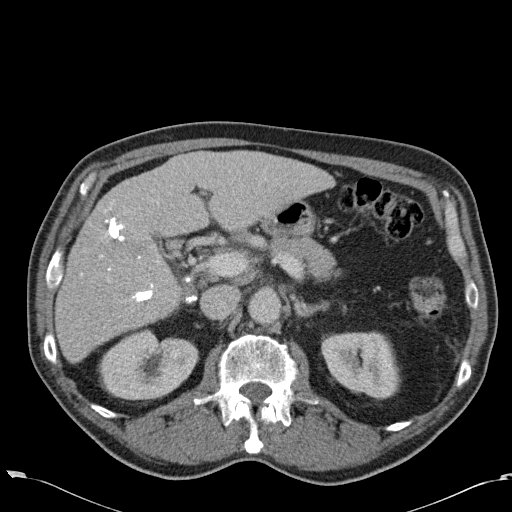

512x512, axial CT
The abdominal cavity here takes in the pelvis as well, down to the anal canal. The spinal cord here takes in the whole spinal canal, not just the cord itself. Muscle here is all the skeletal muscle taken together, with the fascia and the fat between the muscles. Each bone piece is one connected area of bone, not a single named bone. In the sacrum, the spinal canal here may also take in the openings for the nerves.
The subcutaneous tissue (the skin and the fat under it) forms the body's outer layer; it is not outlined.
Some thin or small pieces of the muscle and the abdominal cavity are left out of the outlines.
Outlines (x, y in pixels):
muscle: 210 137; 385 161; 458 189; 469 213; 484 280; 487 334; 471 381; 440 420; 352 467; 302 470; 259 453; 264 444; 258 421; 281 422; 288 427; 294 402; 320 402; 292 389; 299 370; 288 342; 294 341; 305 353; 314 392; 353 420; 397 432; 409 426; 412 417; 435 407; 456 376; 457 387; 471 377; 469 360; 461 358; 470 332; 470 308; 478 307; 479 291; 473 279; 465 284; 456 263; 467 255; 467 249; 447 189; 441 191; 446 199; 446 237; 427 195; 416 187; 256 145; 190 149; 110 175; 73 230; 64 253; 58 245; 50 256; 44 279; 49 290; 55 289; 53 333; 46 332; 42 342; 45 358; 55 364; 57 353; 65 374; 91 402; 89 406; 109 419; 117 413; 141 416; 197 386; 206 357; 221 344; 216 372; 219 386; 212 393; 194 396; 192 402; 196 406; 216 403; 226 427; 233 420; 244 419; 248 423; 243 442; 247 453; 191 465; 150 461; 83 416; 68 400; 40 356; 35 293; 42 248; 71 185; 93 162; 153 144; inner edge: 91 172; 94 172; 95 173; 95 179; 94 180; 94 181; 93 182; 91 187; 89 189; 89 190; 87 193; 87 195; 84 198; 83 198; 82 197; 81 197; 81 195; 79 192; 79 187; 80 186; 80 184; 82 182; 82 181
torso: 199 121; 253 122; 409 143; 442 156; 468 182; 495 279; 496 336; 472 400; 406 461; 339 485; 302 481; 258 461; 237 462; 193 479; 164 479; 107 453; 68 416; 37 374; 27 344; 27 268; 37 231; 63 180; 83 156; 104 144
bones 1: 246 333; 268 335; 286 344; 298 370; 291 389; 300 397; 319 401; 294 401; 288 426; 281 421; 258 420; 263 444; 258 453; 244 448; 249 436; 244 418; 233 419; 226 426; 216 402; 193 402; 194 397; 219 388; 220 355; 230 341 with a hole at 250 382; 259 382; 260 383; 262 383; 263 384; 265 384; 267 385; 270 388; 270 394; 263 399; 261 404; 259 404; 258 405; 254 405; 252 403; 252 401; 249 398; 248 398; 240 392; 240 388; 243 385; 247 383; 249 383
bones 2: 444 189; 449 192; 449 198; 448 199; 455 207; 460 235; 466 249; 466 255; 460 257; 457 261; 454 260; 452 255; 450 253; 448 247; 448 243; 447 242; 448 232; 446 228; 445 214; 444 213; 446 207; 447 199; 442 194; 442 191
bones 3: 58 246; 61 246; 63 250; 63 255; 62 256; 62 262; 63 263; 63 274; 57 287; 49 289; 47 287; 47 285; 46 284; 46 280; 45 279; 45 274; 46 273; 46 269; 47 268; 47 266; 49 263; 49 261; 51 258; 52 254
bones 4: 48 332; 51 332; 53 334; 54 336; 54 339; 55 340; 55 346; 56 347; 56 362; 55 363; 52 363; 46 358; 45 356; 45 354; 44 353; 44 350; 43 349; 43 342; 44 341; 44 337; 46 333
bones 5: 470 279; 473 280; 473 281; 475 283; 477 287; 477 290; 478 291; 478 304; 476 308; 469 307; 468 306; 468 304; 465 298; 465 294; 464 293; 464 289; 465 288; 465 285; 466 283
bones 6: 463 359; 467 359; 468 360; 469 362; 469 364; 471 367; 471 374; 470 375; 470 377; 467 381; 463 383; 460 386; 457 386; 456 385; 456 380; 457 379; 457 376; 458 375; 458 370; 460 366; 460 363
bones 7: 91 172; 94 172; 95 173; 95 179; 94 180; 94 181; 93 182; 91 187; 89 189; 89 190; 87 193; 87 195; 84 198; 83 198; 82 197; 81 197; 81 195; 79 192; 79 187; 80 186; 80 184; 82 182; 82 181
bones 8: 91 403; 94 403; 95 404; 100 405; 103 407; 105 407; 107 409; 109 410; 111 410; 115 412; 118 415; 116 417; 114 417; 113 418; 104 417; 102 415; 101 415; 99 413; 95 411; 90 406; 90 404
bones 9: 409 419; 410 419; 412 421; 411 422; 411 423; 409 425; 408 425; 407 426; 406 426; 405 427; 404 427; 397 431; 388 431; 387 430; 385 430; 385 427; 392 423; 394 423; 395 422; 398 422; 399 421; 403 421; 404 420; 408 420
abdominal cavity: 226 146; 287 151; 426 195; 461 272; 470 316; 457 373; 435 406; 387 425; 353 419; 314 391; 297 342; 288 341; 288 349; 251 332; 223 350; 215 345; 197 385; 141 415; 116 412; 78 389; 63 368; 53 323; 74 230; 113 174
spinal cord: 250 382; 259 382; 260 383; 262 383; 263 384; 265 384; 267 385; 270 388; 270 394; 263 399; 261 404; 259 404; 258 405; 254 405; 252 403; 252 401; 249 398; 248 398; 240 392; 240 388; 243 385; 247 383; 249 383